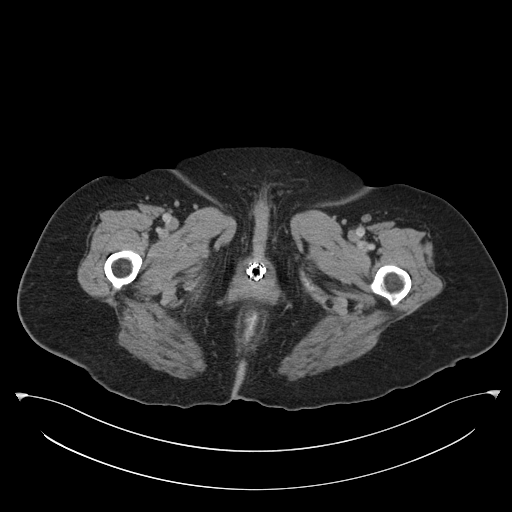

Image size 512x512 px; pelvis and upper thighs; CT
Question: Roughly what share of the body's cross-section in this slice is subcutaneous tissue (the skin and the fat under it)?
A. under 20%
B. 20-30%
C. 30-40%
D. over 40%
Answer: D. over 40%
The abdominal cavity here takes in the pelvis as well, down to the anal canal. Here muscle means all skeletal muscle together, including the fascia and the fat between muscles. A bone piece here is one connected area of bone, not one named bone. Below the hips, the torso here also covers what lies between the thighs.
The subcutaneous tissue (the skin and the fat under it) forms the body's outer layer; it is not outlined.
{"bones":[[[386,264],[392,264],[393,265],[396,265],[400,268],[405,270],[409,274],[410,278],[411,279],[411,287],[408,293],[396,305],[394,306],[391,305],[390,304],[390,302],[385,297],[374,293],[371,290],[369,286],[377,270],[381,266],[385,265]],[[124,249],[129,249],[138,253],[142,259],[142,262],[136,277],[131,282],[123,285],[119,289],[116,289],[112,285],[111,282],[107,278],[104,272],[104,263],[107,257],[110,254],[120,250],[123,250]],[[301,273],[302,273],[303,274],[303,276],[304,277],[305,277],[309,281],[309,282],[314,287],[314,288],[313,289],[309,289],[307,287],[306,287],[304,285],[304,284],[302,282],[302,281],[301,280]]],"left_leg":[[[392,183],[405,183],[445,199],[475,230],[496,265],[507,293],[507,322],[499,339],[478,356],[462,359],[412,386],[395,389],[371,400],[298,410],[267,407],[242,399],[232,400],[245,353],[252,288],[263,240],[275,227],[301,208],[341,200],[373,186]]],"torso":[[[227,146],[289,146],[305,149],[341,161],[359,174],[368,185],[372,186],[364,191],[341,199],[331,199],[301,207],[275,226],[263,239],[259,233],[243,217],[229,206],[205,191],[200,186],[192,182],[174,164],[178,160],[184,157],[191,156],[212,148]]],"muscle":[{"outer":[[139,199],[166,205],[180,213],[211,205],[233,216],[237,222],[236,233],[205,295],[186,320],[187,331],[201,345],[207,363],[206,370],[197,377],[177,378],[133,357],[116,342],[117,320],[112,308],[90,297],[77,281],[77,268],[95,213],[116,203]],"hole":[[124,249],[129,249],[138,253],[142,259],[142,262],[136,277],[131,282],[123,285],[119,289],[116,289],[112,285],[111,282],[107,278],[104,272],[104,263],[107,257],[110,254],[120,250],[123,250]]},{"outer":[[310,208],[322,210],[346,224],[396,218],[421,221],[430,231],[436,269],[445,286],[439,294],[411,314],[391,324],[381,334],[377,344],[357,359],[296,381],[288,381],[274,374],[276,367],[311,328],[315,313],[311,300],[300,286],[289,220],[293,214]],"holes":[[[386,264],[392,264],[393,265],[396,265],[400,268],[405,270],[409,274],[410,278],[411,279],[411,287],[408,293],[396,305],[394,306],[391,305],[390,304],[390,302],[385,297],[374,293],[371,290],[369,286],[377,270],[381,266],[385,265]],[[301,273],[302,273],[303,274],[303,276],[304,277],[305,277],[309,281],[309,282],[314,287],[314,288],[313,289],[309,289],[307,287],[306,287],[304,285],[304,284],[302,282],[302,281],[301,280]]]},{"outer":[[245,303],[253,303],[256,305],[258,305],[263,309],[266,310],[269,314],[269,326],[267,330],[264,333],[263,336],[260,339],[259,348],[253,354],[247,354],[246,355],[241,354],[236,350],[235,343],[233,338],[233,327],[234,326],[235,319],[240,308]],"hole":[[247,311],[254,311],[257,314],[257,316],[258,317],[258,324],[257,325],[257,330],[256,331],[256,332],[252,339],[246,339],[243,336],[243,333],[242,332],[242,321],[243,320],[243,318],[244,317],[244,314],[245,313],[245,312],[246,312]]}],"abdominal_cavity":[[[247,311],[254,311],[257,314],[257,316],[258,317],[258,324],[257,325],[257,330],[256,331],[256,332],[252,339],[246,339],[243,336],[243,333],[242,332],[242,321],[243,320],[243,318],[244,317],[244,314],[245,313],[245,312],[246,312]]],"right_leg":[[[174,165],[192,183],[243,218],[262,239],[251,288],[244,353],[231,401],[224,405],[206,404],[187,408],[148,405],[109,391],[83,368],[34,342],[17,313],[17,290],[25,266],[50,216],[71,193],[102,175],[113,174],[126,178],[152,168],[170,168]]]}